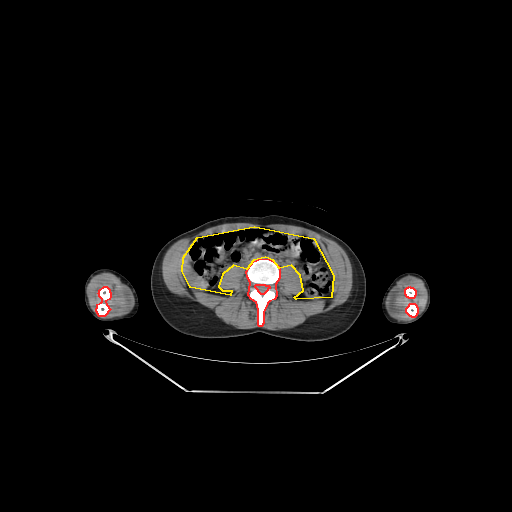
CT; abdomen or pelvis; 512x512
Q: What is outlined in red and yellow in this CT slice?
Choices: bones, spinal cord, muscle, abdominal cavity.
A: red: bones; yellow: abdominal cavity.
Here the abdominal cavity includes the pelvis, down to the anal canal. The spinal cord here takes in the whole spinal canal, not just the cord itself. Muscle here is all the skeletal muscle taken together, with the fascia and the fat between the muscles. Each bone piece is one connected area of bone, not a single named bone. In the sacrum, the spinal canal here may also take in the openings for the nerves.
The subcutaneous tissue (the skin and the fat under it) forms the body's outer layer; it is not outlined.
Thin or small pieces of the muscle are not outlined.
The bones appear in 4 outlined pieces: piece 1: [[261,258],[269,259],[273,261],[278,266],[279,269],[279,278],[275,284],[276,296],[274,299],[269,301],[267,303],[263,312],[263,323],[261,326],[259,326],[258,325],[258,309],[256,302],[251,299],[248,295],[250,282],[247,277],[246,271],[253,261]]; inner edge: [[256,284],[264,284],[265,285],[268,285],[269,286],[269,288],[268,288],[267,289],[267,290],[263,294],[261,294],[258,291],[258,290],[255,287],[255,285]]; piece 2: [[104,286],[106,286],[109,289],[109,291],[110,292],[110,297],[109,299],[105,301],[106,304],[110,309],[104,316],[99,316],[96,311],[96,308],[97,307],[97,304],[101,302],[102,301],[102,299],[99,296],[99,294],[98,293],[99,292],[99,290]]; piece 3: [[410,303],[414,303],[416,305],[416,306],[417,307],[417,313],[416,314],[416,315],[414,317],[412,317],[411,316],[410,316],[406,312],[406,308],[409,305],[409,304]]; piece 4: [[409,286],[410,287],[412,287],[415,290],[415,295],[414,296],[414,297],[413,298],[409,298],[408,297],[407,297],[406,296],[406,295],[405,294],[405,289],[407,287],[408,287]]. The abdominal cavity is outlined by [[254,226],[313,238],[333,275],[331,297],[296,299],[294,297],[303,290],[300,275],[291,265],[279,268],[273,260],[265,257],[253,260],[246,269],[233,265],[222,274],[218,286],[222,290],[231,290],[230,295],[190,287],[182,271],[183,257],[197,237]]. The left arm is outlined by [[407,271],[417,272],[421,274],[426,279],[430,288],[431,301],[430,302],[429,308],[419,319],[411,323],[408,323],[403,325],[398,325],[397,324],[391,323],[386,319],[382,311],[381,302],[382,301],[382,297],[386,289],[395,277],[399,274]]. The right arm is outlined by [[98,268],[110,268],[116,270],[125,276],[130,281],[136,290],[138,296],[138,300],[139,301],[139,307],[135,315],[132,317],[120,321],[114,321],[113,320],[110,320],[109,321],[100,321],[94,318],[90,314],[84,302],[84,282],[87,276],[93,270]]. The muscle appears in 3 outlined pieces: piece 1: [[236,222],[295,225],[310,229],[335,241],[347,254],[352,267],[353,283],[348,299],[332,310],[317,314],[291,328],[271,330],[261,327],[268,303],[277,296],[276,284],[280,278],[280,268],[283,266],[291,266],[300,277],[302,290],[293,297],[298,301],[328,300],[333,295],[334,285],[334,275],[326,256],[320,244],[313,237],[305,233],[288,232],[263,225],[221,229],[199,235],[182,257],[181,265],[183,279],[190,288],[198,292],[221,296],[230,296],[234,292],[231,289],[220,288],[219,281],[223,274],[233,266],[245,269],[249,282],[247,295],[255,302],[258,327],[239,329],[228,325],[200,304],[172,293],[163,281],[161,269],[167,250],[178,240],[191,237],[209,227]]; piece 2: [[103,272],[108,272],[118,277],[132,292],[134,305],[128,313],[111,318],[102,317],[104,317],[111,309],[106,302],[111,297],[110,289],[106,285],[102,286],[98,290],[97,293],[101,301],[96,304],[96,313],[91,308],[87,295],[87,286],[93,276]]; piece 3: [[408,275],[417,277],[423,282],[427,291],[427,301],[424,309],[417,315],[418,313],[418,307],[417,305],[414,302],[410,302],[405,308],[405,312],[410,317],[413,318],[409,320],[397,320],[389,314],[386,307],[386,300],[389,292],[397,282],[401,278]], around a hole outlined by [[409,286],[410,287],[412,287],[415,290],[415,295],[414,296],[414,297],[413,298],[409,298],[408,297],[407,297],[406,296],[406,295],[405,294],[405,289],[407,287],[408,287]]. The torso is outlined by [[269,214],[292,217],[319,226],[342,239],[353,250],[362,264],[366,277],[365,302],[354,324],[342,334],[321,341],[298,341],[260,332],[235,337],[200,338],[180,333],[169,326],[156,309],[150,289],[152,265],[162,246],[173,237],[212,219],[224,216]]. The spinal cord is outlined by [[256,284],[264,284],[265,285],[268,285],[269,286],[269,288],[268,288],[267,289],[267,290],[263,294],[261,294],[258,291],[258,290],[255,287],[255,285]].